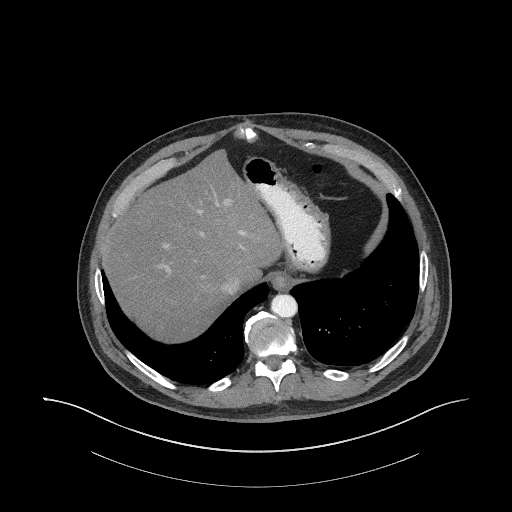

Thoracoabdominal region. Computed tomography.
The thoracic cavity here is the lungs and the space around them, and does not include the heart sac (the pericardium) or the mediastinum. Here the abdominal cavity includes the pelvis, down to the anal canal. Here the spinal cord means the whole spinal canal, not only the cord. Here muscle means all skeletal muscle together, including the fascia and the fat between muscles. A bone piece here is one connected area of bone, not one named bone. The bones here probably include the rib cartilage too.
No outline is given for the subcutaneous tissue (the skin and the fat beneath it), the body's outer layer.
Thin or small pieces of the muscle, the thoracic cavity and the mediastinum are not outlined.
Outlines (x, y in pixels):
abdominal cavity: [[166,344],[199,336],[242,293],[275,273],[312,281],[341,278],[357,269],[385,234],[389,192],[385,186],[355,162],[290,146],[258,128],[253,128],[258,138],[252,142],[236,138],[234,129],[172,168],[109,227],[101,255],[102,269],[124,314],[150,338]]
muscle 1: [[215,408],[239,408],[240,407],[246,407],[254,404],[279,403],[283,400],[288,400],[289,399],[313,399],[314,400],[328,401],[329,400],[336,400],[337,399],[342,399],[343,398],[355,396],[368,390],[376,383],[384,378],[391,371],[405,362],[431,336],[435,328],[440,309],[438,277],[435,268],[435,258],[431,242],[428,237],[427,232],[425,229],[425,226],[422,222],[418,208],[413,198],[409,193],[404,182],[400,176],[381,157],[372,151],[354,142],[352,140],[350,140],[342,136],[330,133],[317,132],[316,131],[304,130],[303,129],[271,127],[270,126],[265,126],[261,124],[257,124],[251,121],[245,121],[237,123],[230,127],[209,134],[193,136],[181,139],[162,147],[147,158],[140,165],[127,175],[107,201],[97,228],[94,245],[91,251],[90,259],[89,260],[89,275],[88,276],[88,284],[89,285],[89,293],[90,294],[90,309],[91,310],[93,327],[95,335],[102,351],[112,361],[119,366],[137,377],[145,384],[150,385],[160,392],[188,404],[197,405],[198,406],[205,406],[206,407],[214,407]] with holes at [[276,392],[282,377],[296,371],[294,327],[316,361],[339,367],[378,358],[368,372],[389,363],[407,342],[404,333],[425,287],[428,257],[424,248],[418,251],[401,188],[380,163],[344,146],[306,142],[300,149],[258,128],[239,127],[180,165],[174,157],[158,161],[122,190],[94,284],[125,354],[158,383],[176,389],[174,380],[222,390],[232,382],[226,374],[243,360],[245,343],[255,357],[255,375],[267,376]] and at [[333,380],[344,380],[345,379],[347,379],[349,377],[349,373],[347,371],[344,371],[343,370],[339,370],[338,369],[331,369],[330,368],[327,368],[323,370],[321,373],[322,375],[323,375],[325,377],[327,377]]
muscle 2: [[118,217],[129,207],[129,206],[134,201],[136,197],[143,189],[146,188],[152,182],[155,181],[157,179],[155,180],[152,180],[147,184],[142,186],[142,187],[140,188],[130,199],[130,200],[128,202],[128,204],[126,206],[126,207],[120,213]]
torso: [[240,423],[309,419],[379,400],[421,375],[445,339],[451,315],[451,269],[438,215],[402,155],[382,137],[343,119],[282,111],[220,115],[181,125],[147,141],[113,169],[87,221],[78,255],[76,297],[85,336],[104,370],[125,389],[149,403],[189,416]]
thoracic cavity 1: [[337,367],[359,366],[378,358],[405,332],[414,311],[418,293],[418,248],[402,205],[390,193],[386,196],[389,207],[389,222],[386,234],[376,249],[357,270],[341,279],[322,279],[301,283],[290,290],[298,303],[302,326],[301,335],[305,349],[316,361]]
thoracic cavity 2: [[197,385],[207,385],[227,375],[242,362],[244,356],[243,320],[245,314],[266,297],[268,291],[266,283],[259,284],[242,294],[199,337],[183,344],[166,345],[150,339],[123,314],[102,270],[106,312],[112,329],[120,341],[142,361],[163,375],[181,383]]
spinal cord: [[272,369],[276,369],[279,367],[279,366],[280,365],[280,363],[282,361],[282,358],[280,356],[279,356],[278,355],[270,355],[269,356],[268,356],[267,357],[266,357],[266,358],[265,359],[265,362],[267,364],[267,365],[270,368],[271,368]]
bones 1: [[276,392],[279,389],[279,383],[282,377],[287,373],[294,373],[296,371],[291,355],[297,353],[298,346],[296,343],[295,332],[289,324],[286,324],[275,315],[261,310],[245,320],[243,326],[244,341],[249,351],[255,357],[255,375],[267,376],[272,381]], around a hole outlined by [[272,369],[276,369],[279,367],[279,366],[280,365],[280,363],[282,361],[282,358],[280,356],[279,356],[278,355],[270,355],[269,356],[268,356],[267,357],[266,357],[266,358],[265,359],[265,362],[267,364],[267,365],[270,368],[271,368]]
bones 2: [[401,203],[402,201],[401,188],[397,184],[394,177],[386,168],[380,163],[373,160],[368,155],[358,150],[350,149],[340,145],[327,143],[318,145],[313,142],[304,143],[303,146],[308,151],[343,157],[363,165],[369,169],[386,186],[388,191],[392,193]]
bones 3: [[113,217],[117,217],[119,213],[125,207],[129,199],[142,185],[147,183],[152,179],[155,179],[163,175],[169,169],[176,165],[178,165],[177,160],[174,157],[171,157],[167,159],[162,159],[138,174],[122,190],[117,197],[111,212]]
bones 4: [[171,389],[176,389],[177,387],[176,385],[171,381],[171,380],[163,376],[155,370],[149,367],[146,364],[142,362],[137,357],[136,357],[127,349],[125,350],[125,354],[130,360],[130,361],[142,372],[143,372],[146,375],[147,375],[158,383]]
bones 5: [[368,372],[374,372],[377,370],[379,370],[381,368],[385,366],[388,363],[389,363],[402,350],[402,349],[405,346],[407,342],[407,340],[408,339],[409,335],[408,334],[404,334],[402,335],[401,337],[387,351],[386,351],[375,363],[374,363],[367,370]]
bones 6: [[419,293],[421,293],[422,292],[423,292],[423,291],[424,290],[424,288],[425,287],[425,284],[426,283],[426,281],[427,280],[427,271],[428,270],[428,257],[427,256],[427,254],[426,253],[426,252],[425,251],[425,249],[424,248],[421,249],[419,252]]
bones 7: [[104,307],[105,306],[105,300],[104,299],[104,294],[103,293],[103,285],[102,284],[102,280],[101,279],[101,270],[98,266],[96,266],[96,267],[95,268],[95,272],[94,273],[94,284],[95,285],[95,290],[96,291],[97,296],[98,297],[101,304]]
bones 8: [[333,380],[344,380],[345,379],[347,379],[349,377],[349,373],[347,371],[344,371],[343,370],[339,370],[338,369],[331,369],[330,368],[327,368],[323,370],[321,373],[322,375],[323,375],[325,377],[327,377]]
bones 9: [[210,391],[218,391],[219,390],[222,390],[223,389],[226,388],[228,386],[229,386],[232,382],[232,381],[231,380],[231,378],[230,377],[230,375],[228,375],[227,376],[226,376],[215,382],[213,382],[212,383],[209,384],[207,386],[207,389]]
bones 10: [[248,141],[252,141],[253,140],[254,140],[256,138],[257,138],[257,133],[252,128],[251,128],[250,127],[247,127],[246,128],[243,128],[242,127],[239,127],[234,132],[234,134],[236,136],[236,137],[238,137],[239,138],[244,138],[245,139],[246,139]]
mediastinum 1: [[301,332],[297,303],[289,293],[289,290],[298,283],[308,281],[294,281],[289,277],[278,274],[269,277],[264,281],[267,283],[269,288],[267,297],[262,302],[254,306],[246,314],[245,319],[251,314],[263,309],[275,314],[280,319],[286,323],[289,323]]
mediastinum 2: [[377,181],[378,180],[379,180],[369,170],[368,170],[366,168],[365,168],[363,166],[362,166],[359,164],[359,166],[360,167],[360,168],[361,168],[365,172],[366,172],[370,176],[371,176],[372,177],[372,178],[373,178],[375,180],[376,180]]